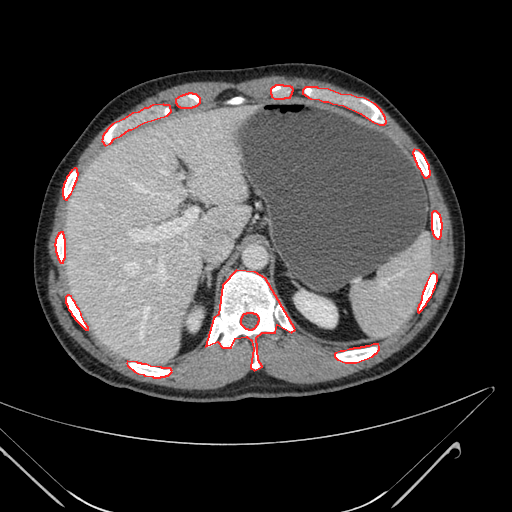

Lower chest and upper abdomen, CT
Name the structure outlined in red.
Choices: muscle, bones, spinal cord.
red: bones.
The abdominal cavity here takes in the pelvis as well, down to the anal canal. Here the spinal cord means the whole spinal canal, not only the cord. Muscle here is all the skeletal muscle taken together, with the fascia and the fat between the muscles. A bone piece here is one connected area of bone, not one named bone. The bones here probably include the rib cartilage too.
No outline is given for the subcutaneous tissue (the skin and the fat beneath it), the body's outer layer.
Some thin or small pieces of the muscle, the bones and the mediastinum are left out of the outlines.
The bones appear in 13 outlined pieces: piece 1: 254,370 262,366 258,360 256,337 262,332 275,332 277,324 291,332 295,329 265,278 255,272 236,270 222,285 218,314 213,318 205,346 217,341 222,347 231,347 235,338 246,336 251,340 253,348 250,367 with a hole at 248,329 252,329 253,328 254,328 256,326 256,325 258,323 258,321 259,320 259,318 258,317 258,316 256,314 254,314 253,313 246,313 245,314 243,314 242,315 242,316 240,319 240,323 245,328 247,328; piece 2: 379,124 384,124 386,122 385,117 380,109 375,104 364,98 356,97 351,95 340,94 328,89 318,88 317,87 305,87 302,90 302,93 310,98 319,99 323,101 328,101 332,103 343,105 360,113 372,121; piece 3: 105,145 110,143 114,138 121,135 129,129 131,129 144,122 167,115 171,111 170,106 169,105 164,105 163,104 152,105 147,108 144,108 138,112 132,113 123,119 112,124 107,129 102,136 102,139 101,140; piece 4: 345,362 356,362 372,356 375,353 376,353 379,349 379,346 378,344 373,344 369,346 365,346 364,347 360,347 359,348 353,348 352,349 349,349 344,351 340,351 335,353 334,354 334,356 337,359; piece 5: 153,377 160,377 161,376 165,376 166,375 168,375 172,371 170,368 162,368 161,367 150,366 146,364 142,364 141,363 138,363 137,362 127,361 126,363 127,365 134,371 138,373 143,374 144,375 152,376; piece 6: 418,312 419,312 426,304 427,301 431,296 433,292 433,290 435,287 435,285 437,281 437,275 433,272 430,274 426,282 426,284 424,287 424,289 422,292 420,303 418,305 418,307 417,308 417,311; piece 7: 65,199 67,199 67,198 71,193 73,189 73,187 75,184 75,182 77,179 78,173 77,172 77,169 76,168 74,168 71,170 71,171 66,177 65,181 63,184 63,187 62,188 62,195 63,196 63,198; piece 8: 85,329 88,329 88,327 85,323 81,315 81,313 79,309 77,307 75,302 73,300 71,296 69,295 67,295 65,297 65,302 67,305 67,307 68,309 70,311 71,314 74,317 74,318; piece 9: 424,177 427,177 428,176 429,176 429,175 430,174 429,165 428,164 424,155 419,150 414,149 412,152 412,153 413,154 413,156 414,157 414,159 416,162 416,164 417,165 417,166 419,168 421,173; piece 10: 180,107 192,107 193,106 195,106 196,105 197,105 200,102 200,98 196,94 193,94 192,93 188,93 187,94 185,94 184,95 182,95 181,96 180,96 175,99 175,102 176,103 176,104 178,106 179,106; piece 11: 60,262 63,262 63,260 65,257 65,239 64,238 64,235 63,234 63,232 60,232 59,233 58,233 58,234 55,239 55,243 54,244 54,245 55,246 55,251 56,252 56,254 57,255 57,257; piece 12: 274,98 284,98 285,97 290,97 290,96 292,93 292,91 293,90 293,89 292,88 292,87 291,87 290,86 284,86 283,85 275,85 273,87 272,87 270,89 270,93 271,94 271,96; piece 13: 436,238 439,238 440,237 440,236 441,235 441,229 442,228 442,223 441,222 441,218 440,217 440,215 436,211 433,211 431,213 431,229 432,230 432,233 433,234 433,235. The abdominal cavity is outlined by 150,365 175,361 205,342 225,270 257,240 271,254 274,295 302,331 352,348 399,329 415,311 432,263 429,197 409,152 336,105 291,96 255,100 236,91 146,124 102,150 80,174 67,206 66,281 97,339, around a hole outlined by 230,104 236,104 237,103 242,103 244,101 245,101 246,100 245,99 245,98 244,97 243,97 242,96 233,96 232,97 231,97 230,98 229,98 228,99 227,99 225,101 225,102 226,103 229,103. The mediastinum is outlined by 221,287 221,285 225,278 230,273 236,269 246,269 251,271 255,271 263,275 266,278 268,282 268,263 270,258 270,254 263,243 259,241 250,243 240,252 236,259 234,260 233,263 226,270 221,281. The muscle appears in 3 outlined pieces: piece 1: 182,389 222,387 252,371 263,371 294,383 316,383 336,379 382,361 412,340 442,303 454,265 450,215 428,159 431,174 425,181 430,197 430,208 431,212 436,210 441,215 443,223 441,237 436,239 432,234 432,272 438,275 438,281 432,296 419,313 416,310 399,330 375,343 380,346 376,354 356,363 341,362 333,354 349,348 329,346 302,332 290,319 296,329 294,333 285,331 277,325 278,330 275,333 262,333 257,337 259,360 263,365 258,371 249,367 252,361 250,340 240,336 235,339 235,344 231,348 222,348 217,342 208,348 204,344 175,362 155,365 170,367 173,370 168,376 160,378 144,376 130,369 125,363 127,360 103,346 89,330 85,330 73,318 66,307 64,297 69,292 63,263 58,261 53,245 57,233 63,230 69,199 65,200 61,195 65,177 59,188 48,241 48,297 59,323 92,356 122,374 138,381; piece 2: 79,175 83,168 108,145 105,146 100,140 106,129 112,123 132,112 138,111 152,104 163,103 169,104 171,106 172,111 169,115 208,104 214,101 221,93 226,90 236,90 246,96 255,99 261,99 270,96 269,89 275,84 292,86 294,89 292,97 309,98 301,93 301,90 305,86 323,87 340,93 364,97 375,103 381,109 387,119 387,122 384,125 377,124 403,144 410,152 412,157 411,152 414,148 422,151 396,121 369,97 325,81 301,77 271,75 238,83 223,81 189,82 170,87 148,97 118,116 94,137 81,153 72,168 76,167 78,169; inner edge: 180,107 192,107 193,106 195,106 196,105 197,105 200,102 200,98 196,94 193,94 192,93 188,93 187,94 185,94 184,95 182,95 181,96 180,96 175,99 175,102 176,103 176,104 178,106 179,106; piece 3: 124,133 126,133 127,132 128,132 129,131 130,131 135,128 137,128 138,127 139,127 140,126 141,126 146,123 148,123 151,121 153,121 154,120 155,120 153,120 152,121 150,121 149,122 147,122 146,123 144,123 143,124 142,124 141,125 140,125 139,126 138,126 137,127 136,127 131,130 129,130 127,132. The spinal cord is outlined by 248,329 252,329 253,328 254,328 256,326 256,325 258,323 258,321 259,320 259,318 258,317 258,316 256,314 254,314 253,313 246,313 245,314 243,314 242,315 242,316 240,319 240,323 245,328 247,328. The torso is outlined by 192,403 312,396 379,379 421,351 446,317 460,284 465,258 464,223 456,193 430,145 391,101 361,78 336,67 305,62 194,69 155,77 108,101 55,168 41,204 33,247 35,289 54,335 81,369 111,386.